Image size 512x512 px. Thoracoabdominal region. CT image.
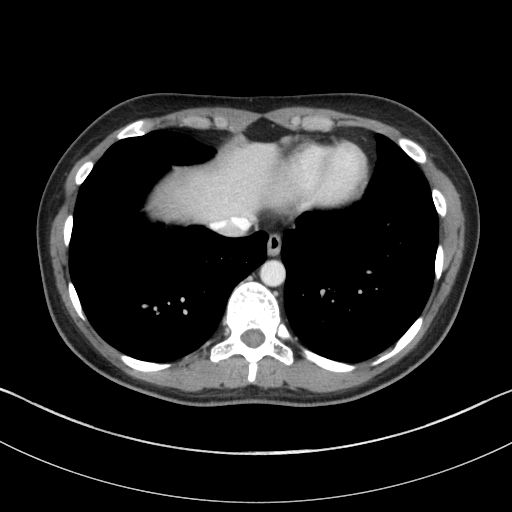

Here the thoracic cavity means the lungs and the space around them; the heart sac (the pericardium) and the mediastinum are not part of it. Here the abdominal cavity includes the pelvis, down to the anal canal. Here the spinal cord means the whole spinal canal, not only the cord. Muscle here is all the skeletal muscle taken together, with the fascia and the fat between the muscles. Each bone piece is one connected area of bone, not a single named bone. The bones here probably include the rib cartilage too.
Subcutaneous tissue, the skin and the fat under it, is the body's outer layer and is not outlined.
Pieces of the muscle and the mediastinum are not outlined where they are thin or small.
{"torso":[[[300,408],[343,404],[386,387],[421,364],[446,336],[460,308],[480,235],[477,195],[463,162],[421,114],[396,100],[368,93],[238,96],[154,92],[110,107],[59,158],[38,206],[39,269],[47,308],[59,335],[96,372],[172,403],[194,407],[261,403]]],"spinal_cord":[[[251,347],[255,347],[256,346],[257,346],[258,345],[259,345],[264,340],[264,336],[263,335],[263,334],[259,330],[258,330],[257,329],[251,329],[250,330],[247,330],[245,332],[244,332],[241,335],[241,339],[247,345],[248,345],[249,346],[250,346]]],"muscle":[[[320,393],[361,385],[405,356],[424,335],[454,283],[463,256],[465,237],[465,218],[460,196],[448,176],[422,146],[427,162],[417,164],[430,187],[437,187],[445,196],[447,212],[443,218],[438,219],[439,242],[442,243],[445,253],[443,271],[440,279],[433,282],[421,314],[424,320],[420,330],[391,358],[378,365],[370,365],[390,347],[370,359],[354,363],[357,367],[344,373],[328,371],[309,362],[296,345],[286,342],[294,350],[293,363],[287,366],[270,356],[265,356],[258,362],[253,383],[246,379],[247,362],[241,355],[233,355],[214,363],[208,357],[209,348],[200,348],[171,361],[172,365],[161,371],[134,370],[119,359],[121,352],[106,342],[88,320],[84,322],[77,315],[68,297],[68,248],[64,246],[62,237],[64,219],[68,213],[73,212],[79,188],[74,183],[74,176],[84,161],[92,159],[95,162],[117,140],[115,135],[124,126],[110,133],[75,163],[67,174],[51,226],[51,262],[56,286],[68,313],[90,343],[105,358],[134,378],[184,391],[225,390],[254,384],[263,388]],[[395,142],[399,136],[408,137],[397,128],[375,119],[345,113],[329,108],[290,106],[278,108],[264,113],[259,113],[230,107],[206,106],[186,108],[158,117],[143,118],[146,120],[150,120],[154,123],[153,129],[164,129],[175,126],[186,126],[182,126],[180,122],[180,119],[186,115],[200,115],[207,117],[212,122],[209,128],[220,129],[217,128],[212,123],[212,118],[217,114],[223,116],[228,121],[228,126],[224,129],[241,130],[260,117],[272,120],[289,129],[302,129],[300,124],[296,126],[293,126],[291,124],[290,120],[294,115],[298,114],[302,117],[305,115],[318,114],[326,115],[333,119],[335,122],[333,128],[340,126],[360,126],[371,129],[376,132],[380,132]]],"mediastinum":[[[287,325],[288,322],[283,307],[283,289],[286,274],[280,256],[280,249],[284,232],[295,227],[297,217],[280,217],[271,215],[268,212],[260,221],[256,230],[263,230],[268,235],[266,259],[243,280],[256,280],[265,285],[276,296],[281,308],[282,318]],[[370,179],[376,162],[376,142],[374,136],[375,135],[375,132],[360,127],[340,127],[339,128],[335,128],[327,132],[321,132],[320,131],[308,132],[304,130],[300,130],[300,132],[303,135],[341,134],[354,139],[366,151],[369,157],[370,160]],[[214,147],[215,143],[217,142],[219,138],[222,135],[230,132],[231,130],[214,130],[213,129],[203,130],[202,129],[196,129],[189,127],[175,127],[174,128],[165,129],[183,133],[186,135],[193,137],[199,141],[201,141],[204,143],[208,143]],[[318,210],[341,210],[344,208],[347,208],[355,202],[357,202],[359,201],[362,198],[365,192],[365,190],[367,187],[367,185],[366,188],[363,191],[362,194],[354,201],[350,203],[348,203],[343,206],[339,206],[335,208],[326,208],[325,209],[320,209]]],"abdominal_cavity":[[[232,237],[255,231],[259,221],[266,215],[265,190],[275,158],[284,143],[302,135],[299,130],[289,130],[260,118],[241,131],[231,131],[222,136],[216,143],[215,154],[209,160],[172,166],[150,190],[141,210],[149,221],[161,222],[166,226],[202,225]]],"thoracic_cavity":[[[157,362],[182,357],[213,336],[233,288],[264,261],[267,238],[263,231],[232,238],[202,226],[166,227],[147,220],[140,210],[153,184],[172,165],[205,161],[215,152],[167,130],[117,141],[95,163],[78,192],[69,246],[71,280],[96,331],[123,353]],[[351,363],[370,358],[393,345],[421,313],[434,277],[438,216],[430,188],[416,163],[396,143],[380,133],[375,136],[377,162],[363,198],[341,211],[305,212],[297,218],[296,227],[285,232],[281,249],[287,274],[284,307],[289,329],[312,351],[331,359]]],"bones":[{"outer":[[249,382],[265,355],[292,363],[294,353],[286,341],[325,369],[344,372],[356,365],[325,358],[299,344],[282,320],[275,296],[256,281],[241,281],[227,302],[221,322],[224,337],[212,338],[201,347],[210,348],[214,362],[241,354],[248,362]],"hole":[[251,347],[255,347],[256,346],[257,346],[258,345],[259,345],[264,340],[264,336],[263,335],[263,334],[259,330],[258,330],[257,329],[251,329],[250,330],[247,330],[245,332],[244,332],[241,335],[241,339],[247,345],[248,345],[249,346],[250,346]]},[[371,365],[378,364],[380,362],[391,357],[400,350],[401,350],[414,337],[416,333],[419,330],[422,324],[423,316],[422,315],[420,315],[414,321],[414,322],[409,327],[409,328],[398,339],[392,348],[389,351],[382,354],[377,359],[374,360],[371,363]],[[308,131],[313,131],[314,130],[327,131],[328,130],[330,130],[332,128],[334,124],[334,122],[333,120],[326,116],[312,115],[311,116],[305,116],[302,118],[298,115],[294,116],[291,120],[292,124],[293,125],[296,125],[300,123],[303,129]],[[141,371],[157,371],[158,370],[161,370],[169,367],[171,365],[171,363],[169,362],[166,362],[165,363],[157,363],[156,362],[142,361],[141,360],[135,359],[122,353],[120,354],[119,356],[120,357],[120,359],[125,364],[134,369],[140,370]],[[118,140],[120,139],[123,139],[127,137],[133,137],[134,136],[138,136],[139,135],[142,135],[146,133],[148,131],[151,130],[153,128],[153,123],[150,121],[146,121],[142,119],[139,119],[133,122],[131,122],[129,124],[125,126],[116,135],[116,138]],[[420,164],[422,164],[426,162],[426,156],[422,148],[416,142],[415,142],[413,140],[409,138],[407,138],[406,137],[399,137],[396,141],[398,145],[414,161]],[[203,129],[206,129],[208,128],[211,123],[211,122],[207,118],[205,118],[204,117],[201,117],[200,116],[186,116],[185,117],[183,117],[181,119],[181,122],[182,123],[182,125],[186,125],[190,127],[196,127],[197,128],[202,128]],[[441,217],[443,217],[445,215],[445,213],[446,212],[446,205],[445,204],[445,199],[442,193],[437,188],[435,187],[433,187],[431,189],[431,194],[432,195],[432,198],[434,202],[434,205],[435,206],[436,211],[438,215]],[[84,321],[86,321],[87,319],[82,310],[82,308],[81,307],[81,304],[79,301],[78,296],[73,286],[73,284],[70,280],[68,281],[68,291],[69,292],[69,297],[78,315]],[[77,185],[80,185],[83,182],[83,181],[86,178],[86,177],[88,175],[89,172],[91,170],[91,169],[94,164],[94,162],[92,160],[87,160],[85,162],[84,162],[79,167],[79,168],[76,173],[76,175],[75,176],[75,183]],[[435,281],[437,281],[439,279],[441,275],[442,267],[443,266],[443,257],[444,256],[444,253],[443,252],[443,247],[441,243],[439,243],[438,244],[437,251],[435,256],[435,267],[434,268],[434,272],[435,273],[434,280]],[[66,247],[68,247],[69,245],[69,242],[70,241],[70,238],[71,237],[71,231],[72,230],[72,225],[73,224],[73,215],[72,213],[70,213],[67,215],[65,219],[65,221],[64,222],[64,226],[63,227],[63,237],[64,238],[64,243]],[[221,129],[223,129],[224,128],[225,128],[227,126],[227,121],[223,117],[222,117],[221,116],[218,116],[217,115],[216,116],[215,116],[213,118],[213,123],[217,127],[218,127],[219,128],[220,128]]],"pericardium":[[[280,216],[299,216],[308,210],[335,207],[357,198],[369,180],[369,160],[365,151],[354,140],[341,135],[300,136],[299,138],[292,138],[289,142],[284,144],[276,158],[276,163],[272,170],[272,177],[270,178],[270,183],[266,190],[268,211],[271,214]]]}